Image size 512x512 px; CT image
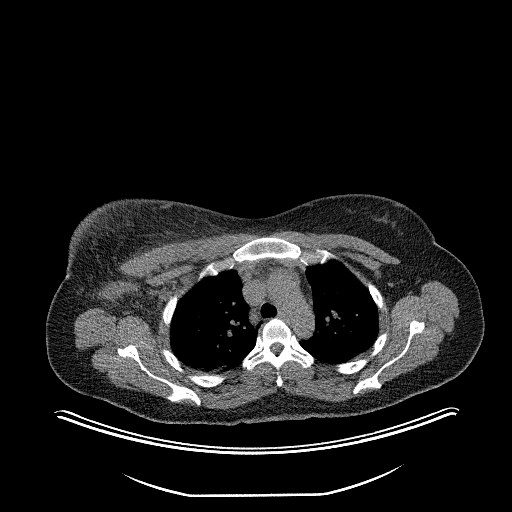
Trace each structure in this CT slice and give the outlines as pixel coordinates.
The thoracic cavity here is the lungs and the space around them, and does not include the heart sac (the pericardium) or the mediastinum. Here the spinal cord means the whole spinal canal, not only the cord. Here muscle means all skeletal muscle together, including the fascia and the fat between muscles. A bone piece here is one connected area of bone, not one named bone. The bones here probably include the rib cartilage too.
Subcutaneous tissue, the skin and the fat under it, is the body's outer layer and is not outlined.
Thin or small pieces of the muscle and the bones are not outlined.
spinal cord: [[274,343],[280,343],[282,345],[282,349],[277,354],[276,353],[275,353],[274,352],[273,352],[270,349],[270,347],[271,346],[271,345],[272,345]]
thoracic cavity 1: [[232,269],[236,272],[241,283],[241,294],[248,306],[248,319],[254,327],[259,324],[255,343],[253,347],[243,357],[239,365],[222,372],[198,374],[193,369],[182,363],[172,351],[169,333],[171,322],[180,298],[196,283],[205,277],[215,277],[221,272]]
thoracic cavity 2: [[330,260],[337,260],[343,263],[366,287],[378,311],[378,335],[371,345],[371,347],[363,352],[356,359],[334,364],[317,360],[299,342],[299,340],[309,339],[316,331],[315,314],[313,308],[312,288],[306,276],[306,269],[308,266],[318,264],[322,265]]
bones 1: [[263,236],[283,238],[298,245],[302,250],[324,249],[334,254],[337,259],[330,259],[322,264],[305,265],[297,259],[263,258],[236,263],[233,268],[221,271],[215,276],[205,276],[199,281],[197,280],[199,272],[207,264],[229,257],[243,244]]
bones 2: [[273,318],[283,321],[296,337],[299,344],[316,360],[307,368],[304,368],[298,362],[293,360],[284,362],[280,368],[282,380],[281,386],[276,384],[276,370],[269,362],[261,362],[251,370],[243,368],[240,365],[244,357],[254,347],[257,336],[264,324]]; inner edge: [[274,343],[280,343],[282,345],[282,349],[277,354],[276,353],[275,353],[274,352],[273,352],[270,349],[270,347],[271,346],[271,345],[272,345]]
bones 3: [[129,344],[136,347],[142,363],[153,374],[175,384],[192,389],[199,397],[200,405],[198,406],[189,399],[183,399],[178,402],[168,400],[166,396],[170,394],[172,390],[166,383],[149,376],[133,358],[129,356],[122,357],[118,354],[118,348],[122,348]]
bones 4: [[412,320],[422,321],[424,323],[424,327],[421,332],[415,333],[412,336],[406,352],[400,358],[385,367],[380,372],[378,375],[378,380],[382,384],[381,387],[362,389],[358,393],[354,394],[352,390],[359,380],[371,376],[404,348],[409,334],[409,324]]
bones 5: [[384,332],[387,332],[388,334],[384,345],[373,357],[371,357],[369,359],[368,362],[360,370],[357,372],[349,374],[340,373],[336,371],[334,368],[335,364],[348,362],[368,357],[372,350],[371,348],[375,340],[379,334],[381,334]]
bones 6: [[228,370],[229,370],[229,371],[227,373],[227,377],[219,384],[215,386],[212,386],[211,387],[204,387],[203,386],[198,385],[188,379],[187,377],[187,376],[189,374],[195,374],[196,375],[201,375],[202,374],[209,374],[210,375],[211,374],[222,373]]
bones 7: [[175,292],[177,292],[180,295],[182,293],[182,292],[184,292],[184,293],[179,298],[176,304],[176,306],[175,307],[175,309],[174,310],[174,312],[173,313],[173,315],[170,322],[169,329],[167,329],[162,318],[162,313],[163,312],[163,309],[166,302]]
bones 8: [[350,269],[353,271],[358,272],[359,274],[359,277],[362,280],[370,280],[374,284],[375,284],[375,285],[379,289],[382,295],[382,298],[383,299],[383,302],[384,303],[383,308],[381,310],[378,310],[378,308],[376,304],[374,302],[367,287],[350,270]]
bones 9: [[163,348],[167,348],[168,349],[171,350],[171,351],[174,354],[174,355],[181,362],[181,365],[182,366],[182,367],[184,370],[184,372],[180,372],[178,370],[177,370],[175,368],[174,368],[165,359],[164,356],[162,354],[162,353],[161,352],[161,350]]
muscle: [[279,230],[345,233],[398,258],[398,264],[380,267],[377,280],[391,306],[409,292],[418,295],[421,286],[430,280],[451,289],[458,300],[459,316],[431,361],[383,385],[379,380],[381,372],[407,352],[413,336],[423,331],[425,323],[412,319],[403,348],[371,375],[359,379],[351,390],[356,395],[362,390],[378,389],[343,401],[279,389],[237,407],[216,409],[199,406],[201,399],[192,388],[153,373],[132,343],[118,347],[117,354],[133,359],[149,377],[166,384],[171,390],[165,396],[169,401],[111,384],[91,365],[90,356],[75,346],[74,321],[89,308],[99,307],[116,316],[137,315],[144,320],[157,316],[158,297],[148,292],[142,281],[118,271],[133,255],[203,236]]; inner edge: [[263,236],[283,238],[302,250],[327,250],[379,289],[384,305],[378,311],[378,333],[388,334],[382,348],[360,370],[347,374],[319,360],[307,368],[288,360],[280,368],[282,385],[278,386],[275,368],[261,362],[251,370],[238,365],[219,384],[204,387],[188,379],[196,373],[193,369],[182,363],[184,372],[180,372],[165,359],[161,350],[171,349],[162,318],[168,299],[175,292],[187,292],[207,264],[229,257],[243,244]]
mediastinum: [[263,259],[297,260],[307,266],[305,276],[311,288],[315,326],[315,331],[309,338],[298,340],[285,322],[277,317],[273,317],[264,323],[259,332],[260,324],[254,326],[251,323],[249,319],[249,306],[242,294],[242,283],[234,268],[236,264],[255,262]]
torso: [[340,193],[376,194],[409,206],[426,222],[435,240],[470,271],[480,293],[484,334],[473,359],[455,378],[360,415],[210,425],[146,419],[70,388],[52,370],[45,345],[48,308],[65,275],[70,235],[79,220],[97,205],[117,197],[141,196],[260,218]]